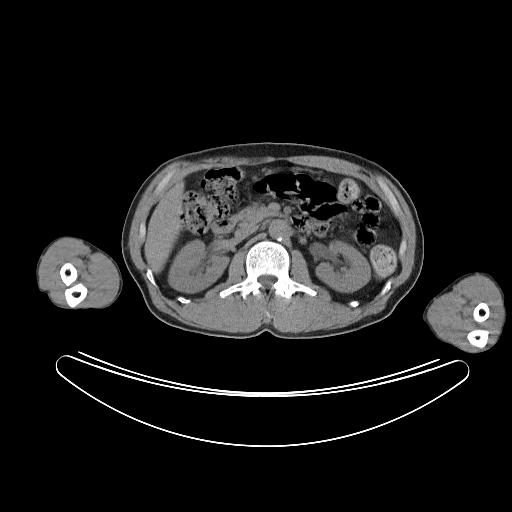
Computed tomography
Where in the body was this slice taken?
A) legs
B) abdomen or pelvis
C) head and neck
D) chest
B) abdomen or pelvis
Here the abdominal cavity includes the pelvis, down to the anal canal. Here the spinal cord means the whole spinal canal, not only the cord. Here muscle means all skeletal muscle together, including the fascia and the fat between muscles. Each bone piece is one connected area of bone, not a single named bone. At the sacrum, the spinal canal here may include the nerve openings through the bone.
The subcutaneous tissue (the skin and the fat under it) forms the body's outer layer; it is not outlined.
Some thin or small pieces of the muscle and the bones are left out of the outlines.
bones 1: 263 240; 277 242; 287 250; 290 258; 288 271; 290 277; 315 290; 314 296; 302 291; 295 292; 290 299; 276 296; 273 293; 267 296; 249 293; 244 299; 236 291; 223 298; 220 297; 221 290; 240 282; 247 276; 246 254; 251 246; inner edge: 262 275; 271 275; 272 276; 274 276; 276 278; 276 280; 270 286; 270 287; 269 287; 268 288; 265 288; 264 287; 263 287; 263 286; 258 281; 258 278; 260 276; 261 276
bones 2: 66 262; 70 262; 75 267; 77 271; 77 278; 75 282; 76 283; 80 282; 87 288; 86 296; 83 300; 75 307; 71 307; 69 306; 65 299; 64 292; 65 291; 65 289; 67 287; 61 279; 60 273; 59 272; 60 271; 61 266
bones 3: 473 329; 485 329; 488 331; 488 336; 487 337; 487 342; 486 343; 486 344; 483 347; 482 347; 481 348; 472 345; 469 342; 469 341; 467 339; 467 334; 468 333; 468 332; 469 332; 471 330; 472 330
bones 4: 379 178; 381 180; 382 180; 386 184; 386 185; 390 189; 390 190; 396 198; 396 199; 399 204; 400 209; 401 210; 401 211; 399 213; 395 213; 393 211; 384 192; 382 190; 382 189; 380 187; 380 186; 378 183; 378 179
bones 5: 480 302; 485 302; 487 304; 487 305; 489 308; 489 315; 488 316; 488 317; 484 321; 483 321; 482 322; 477 322; 474 320; 474 318; 473 317; 473 310; 474 309; 474 308; 475 307; 475 306; 477 304; 478 304
bones 6: 170 170; 173 170; 174 171; 174 172; 173 173; 172 176; 170 178; 170 179; 168 181; 168 182; 166 184; 166 185; 163 188; 163 189; 158 194; 156 194; 154 191; 155 190; 155 188; 156 187; 157 184; 160 181; 160 180
bones 7: 148 268; 150 268; 150 269; 151 270; 151 271; 153 274; 153 277; 155 280; 155 282; 156 283; 156 284; 157 285; 157 286; 154 286; 151 283; 151 282; 148 279; 148 278; 146 275; 146 271
bones 8: 389 279; 391 279; 391 285; 390 286; 390 288; 384 294; 383 294; 382 295; 380 295; 380 292; 381 291; 381 290; 382 289; 382 288; 384 286; 384 285; 386 283; 386 282
left arm: 476 270; 486 271; 490 273; 499 283; 505 294; 505 301; 504 303; 506 308; 506 315; 499 339; 490 349; 479 353; 467 353; 457 348; 455 348; 447 343; 441 342; 436 339; 423 322; 422 314; 427 303; 436 294; 453 280; 462 274
abdominal cavity: 281 160; 349 174; 381 196; 401 228; 397 274; 369 301; 336 301; 326 288; 312 281; 301 251; 294 248; 289 253; 281 243; 263 239; 246 253; 239 249; 231 258; 226 279; 201 297; 165 297; 142 255; 147 217; 164 192; 199 170
right arm: 63 235; 77 236; 91 242; 109 254; 118 264; 123 279; 123 286; 121 293; 117 299; 109 306; 103 309; 77 309; 76 310; 63 309; 54 305; 49 300; 48 296; 38 289; 36 283; 36 263; 38 258; 43 248; 50 241; 59 236
muscle 1: 228 155; 230 156; 239 156; 240 157; 261 157; 262 156; 278 157; 279 156; 295 156; 296 155; 329 156; 330 157; 335 157; 336 158; 343 159; 355 163; 362 167; 364 167; 366 169; 368 169; 373 172; 377 172; 385 176; 397 188; 406 202; 415 225; 415 232; 416 233; 414 263; 412 270; 408 278; 395 290; 393 294; 388 299; 386 302; 385 307; 381 311; 375 314; 365 316; 361 319; 343 327; 339 327; 334 329; 320 329; 319 330; 313 330; 312 331; 306 331; 305 332; 297 332; 296 333; 293 332; 282 332; 276 329; 271 324; 267 324; 266 323; 263 323; 257 329; 250 332; 228 332; 227 331; 221 331; 220 330; 205 329; 204 328; 195 327; 183 323; 171 315; 165 313; 158 309; 154 305; 151 299; 148 288; 142 277; 142 275; 135 266; 130 255; 129 245; 128 244; 129 241; 129 232; 137 205; 143 193; 151 181; 158 173; 168 165; 176 161; 187 160; 199 156; 203 156; 206 158; 208 158; 209 157; 227 156; inner edges: 281 160; 349 174; 386 202; 378 183; 379 178; 386 184; 399 204; 401 211; 394 215; 406 243; 390 288; 354 307; 336 301; 312 281; 306 259; 294 248; 288 273; 315 290; 314 296; 302 291; 290 299; 249 293; 244 299; 236 291; 222 298; 221 290; 247 276; 246 253; 239 249; 226 279; 201 297; 189 303; 165 297; 146 275; 149 266; 139 235; 141 223; 146 224; 164 192; 199 170, then 170 170; 173 170; 174 171; 174 172; 173 173; 172 176; 170 178; 170 179; 168 181; 168 182; 166 184; 166 185; 163 188; 163 189; 158 194; 156 194; 154 191; 155 190; 155 188; 156 187; 157 184; 160 181; 160 180
muscle 2: 476 274; 484 275; 489 278; 499 290; 502 301; 502 317; 498 331; 491 343; 487 344; 489 336; 487 329; 473 328; 467 332; 466 339; 472 346; 479 348; 465 349; 441 338; 429 323; 427 313; 436 299; 451 291; 453 287; 464 278 with a hole at 480 302; 485 302; 487 304; 487 305; 489 308; 489 315; 488 316; 488 317; 484 321; 483 321; 482 322; 477 322; 474 320; 474 318; 473 317; 473 310; 474 309; 474 308; 475 307; 475 306; 477 304; 478 304
muscle 3: 63 238; 79 240; 92 252; 99 252; 111 261; 117 271; 119 285; 108 303; 77 306; 87 296; 88 288; 82 282; 76 282; 78 271; 70 261; 64 262; 58 272; 66 287; 63 294; 67 305; 54 301; 41 287; 41 260; 49 247
spinal cord: 262 275; 271 275; 272 276; 274 276; 276 278; 276 280; 270 286; 270 287; 269 287; 268 288; 265 288; 264 287; 263 287; 263 286; 258 281; 258 278; 260 276; 261 276
torso: 247 142; 305 143; 354 152; 377 162; 401 183; 418 213; 424 236; 424 257; 415 284; 389 316; 340 335; 284 339; 267 331; 249 338; 209 336; 170 326; 150 312; 125 265; 121 251; 122 227; 136 191; 158 165; 173 156; 213 146